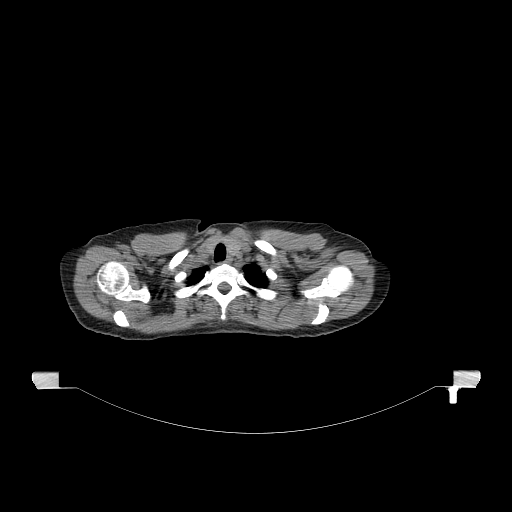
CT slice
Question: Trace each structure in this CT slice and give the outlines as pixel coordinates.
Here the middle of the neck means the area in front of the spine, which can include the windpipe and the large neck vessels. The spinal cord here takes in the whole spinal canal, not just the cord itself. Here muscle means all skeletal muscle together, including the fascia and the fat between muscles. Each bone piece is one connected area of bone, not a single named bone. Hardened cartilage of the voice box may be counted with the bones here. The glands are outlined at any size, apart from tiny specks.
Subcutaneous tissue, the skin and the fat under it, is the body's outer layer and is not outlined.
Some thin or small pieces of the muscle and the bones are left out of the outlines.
Answer: The muscle is outlined by [[235,227],[317,232],[328,240],[328,245],[364,253],[375,266],[374,292],[367,305],[349,317],[326,321],[330,308],[320,300],[309,324],[293,329],[265,329],[229,320],[213,321],[209,325],[202,322],[175,331],[143,333],[129,328],[122,309],[116,309],[111,315],[114,323],[109,322],[88,313],[75,296],[72,277],[76,259],[91,246],[127,244],[136,234],[144,232],[162,234],[185,230],[194,233],[209,228],[227,232]]; inner edges: [[226,237],[245,248],[247,260],[263,272],[271,268],[277,274],[266,285],[277,295],[272,300],[253,292],[250,297],[238,295],[221,320],[220,306],[211,296],[178,298],[173,292],[182,285],[174,280],[175,274],[184,271],[189,275],[201,265],[206,242]], then [[111,260],[119,261],[126,267],[129,272],[130,278],[129,283],[133,289],[139,289],[143,285],[147,286],[150,292],[150,299],[147,303],[144,303],[139,300],[130,300],[129,301],[119,300],[113,296],[102,292],[100,290],[96,283],[96,273],[100,266]], then [[337,264],[342,264],[347,266],[351,270],[353,274],[354,277],[354,283],[347,291],[342,293],[335,298],[332,298],[331,297],[320,297],[316,299],[308,299],[300,292],[302,289],[310,288],[319,285],[321,283],[323,277],[327,274],[329,269],[331,267]], then [[184,248],[188,248],[188,249],[189,250],[188,251],[187,254],[183,258],[183,259],[179,263],[179,264],[178,264],[173,269],[173,270],[170,270],[168,268],[168,263],[169,262],[169,261],[171,259],[171,258],[177,252],[178,252],[180,250],[181,250]], then [[256,239],[263,239],[264,240],[267,241],[269,243],[270,243],[275,248],[275,249],[276,250],[276,254],[275,255],[272,255],[269,253],[267,253],[266,252],[265,252],[264,251],[261,250],[257,246],[256,246],[254,244],[254,241]]. The torso is outlined by [[181,218],[200,219],[200,229],[215,222],[260,219],[323,222],[330,225],[335,230],[326,247],[325,275],[344,299],[371,315],[332,333],[299,338],[214,333],[124,340],[83,327],[78,322],[110,307],[130,288],[134,279],[134,250],[129,238],[118,228]]. The thyroid glands appear in 2 outlined pieces: piece 1: [[226,237],[227,237],[228,238],[231,238],[232,239],[237,241],[240,244],[240,248],[239,249],[239,250],[237,252],[237,253],[235,255],[230,255],[228,253],[228,251],[227,250],[227,245],[226,244],[226,242],[223,239],[223,238],[225,238]]; piece 2: [[212,238],[216,238],[217,239],[218,239],[216,241],[216,242],[214,244],[214,245],[213,246],[213,249],[212,250],[212,251],[210,253],[208,253],[206,251],[206,250],[205,249],[205,244],[206,243],[206,242],[208,240],[209,240],[210,239],[211,239]]. The right arm is outlined by [[115,229],[120,230],[128,238],[133,250],[134,254],[134,275],[131,284],[129,288],[110,306],[87,318],[85,318],[80,321],[77,321],[66,302],[62,290],[60,276],[59,275],[60,259],[64,252],[68,248],[74,245],[83,244],[95,235],[103,234]]. The spinal cord is outlined by [[223,282],[225,282],[226,283],[227,283],[230,286],[230,289],[228,291],[227,291],[226,292],[225,292],[224,293],[223,292],[222,292],[221,291],[220,291],[219,290],[219,289],[218,288],[218,286],[219,285],[219,284],[220,284],[221,283],[222,283]]. The bones appear in 8 outlined pieces: piece 1: [[222,263],[242,272],[250,284],[275,290],[277,295],[272,300],[253,292],[250,297],[238,295],[227,305],[225,320],[220,319],[217,301],[207,294],[176,297],[173,292],[182,284],[174,280],[175,274],[187,273],[182,283],[191,285],[198,282],[206,271]]; inner edge: [[223,282],[225,282],[226,283],[227,283],[230,286],[230,289],[228,291],[227,291],[226,292],[225,292],[224,293],[223,292],[222,292],[221,291],[220,291],[219,290],[219,289],[218,288],[218,286],[219,285],[219,284],[220,284],[221,283],[222,283]]; piece 2: [[111,260],[119,261],[126,267],[129,272],[130,278],[129,283],[133,289],[139,289],[143,285],[147,286],[150,292],[150,299],[147,303],[144,303],[139,300],[130,300],[129,301],[119,300],[113,296],[102,292],[100,290],[96,283],[96,273],[100,266]]; piece 3: [[337,264],[342,264],[347,266],[351,270],[353,274],[354,277],[354,283],[347,291],[342,293],[335,298],[332,298],[331,297],[320,297],[316,299],[308,299],[300,292],[302,289],[310,288],[319,285],[321,283],[323,277],[327,274],[329,269],[331,267]]; piece 4: [[320,301],[321,301],[323,303],[324,303],[329,308],[329,313],[326,318],[326,320],[324,322],[323,322],[322,323],[320,323],[319,324],[310,324],[310,322],[315,316],[315,315],[317,312],[317,309],[318,308],[318,307],[317,306],[317,304]]; piece 5: [[184,248],[188,248],[188,249],[189,250],[188,251],[187,254],[183,258],[183,259],[179,263],[179,264],[178,264],[173,269],[173,270],[170,270],[168,268],[168,263],[169,262],[169,261],[171,259],[171,258],[177,252],[178,252],[180,250],[181,250]]; piece 6: [[256,239],[263,239],[264,240],[267,241],[269,243],[270,243],[275,248],[275,249],[276,250],[276,254],[275,255],[272,255],[269,253],[267,253],[266,252],[265,252],[264,251],[261,250],[257,246],[256,246],[254,244],[254,241]]; piece 7: [[120,309],[122,310],[126,315],[126,317],[129,323],[129,326],[128,327],[122,327],[121,326],[119,326],[117,325],[115,323],[113,319],[113,317],[112,316],[113,313],[116,310],[119,310]]; piece 8: [[268,268],[271,268],[277,274],[277,277],[274,280],[272,280],[271,281],[270,280],[269,280],[267,278],[267,277],[266,276],[266,275],[265,274],[265,270],[266,270]]. The left arm is outlined by [[336,230],[350,234],[363,241],[371,250],[373,255],[376,258],[380,260],[383,260],[386,262],[390,269],[391,282],[388,293],[381,305],[372,314],[369,314],[351,304],[332,286],[326,275],[326,272],[325,271],[325,258],[327,253],[327,247],[332,235]]. The middle of the neck is outlined by [[219,239],[225,242],[227,253],[230,256],[235,256],[241,246],[247,250],[247,260],[255,262],[264,272],[268,280],[266,287],[250,283],[242,271],[226,262],[209,268],[198,281],[188,284],[189,275],[201,265],[199,258],[202,250],[204,249],[210,254]].